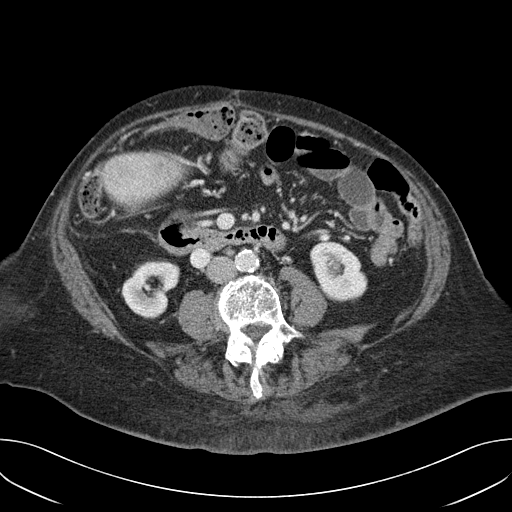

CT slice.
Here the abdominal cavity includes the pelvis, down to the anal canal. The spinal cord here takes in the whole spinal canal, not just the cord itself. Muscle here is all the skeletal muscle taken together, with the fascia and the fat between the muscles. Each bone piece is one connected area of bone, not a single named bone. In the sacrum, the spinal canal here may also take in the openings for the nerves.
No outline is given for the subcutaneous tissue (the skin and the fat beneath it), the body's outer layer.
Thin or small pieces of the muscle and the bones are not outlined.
{"abdominal_cavity":[[[220,105],[325,132],[403,173],[423,210],[427,260],[413,304],[388,319],[311,330],[328,303],[286,265],[278,278],[290,286],[288,318],[269,279],[251,273],[215,293],[183,295],[174,315],[193,340],[142,347],[127,335],[67,236],[76,189],[123,131]]],"torso":[[[190,84],[218,84],[309,98],[369,124],[410,153],[445,192],[485,276],[511,303],[511,391],[474,398],[414,425],[360,442],[300,453],[239,455],[186,449],[143,439],[82,417],[45,393],[0,384],[0,259],[22,241],[67,165],[107,120],[142,98]]],"bones":[{"outer":[[251,274],[262,274],[268,279],[282,316],[304,334],[304,338],[293,338],[284,345],[283,357],[277,363],[268,362],[262,367],[259,378],[263,392],[258,399],[249,383],[252,366],[246,362],[234,366],[224,356],[228,331],[217,316],[217,291],[229,281]],"hole":[[251,324],[260,324],[261,325],[270,325],[270,328],[256,342],[255,342],[250,337],[249,337],[244,332],[243,332],[241,330],[241,329],[242,328],[244,328],[246,326],[247,326],[248,325],[250,325]]}],"muscle":[{"outer":[[222,99],[223,100],[240,100],[261,108],[278,111],[284,114],[289,114],[308,120],[319,122],[352,136],[395,159],[404,167],[409,169],[428,189],[431,196],[435,200],[440,211],[445,218],[446,224],[449,230],[448,239],[450,243],[451,261],[446,278],[445,287],[438,300],[424,317],[418,320],[416,323],[407,329],[396,333],[391,337],[385,339],[378,345],[370,348],[362,353],[353,363],[352,367],[343,376],[336,377],[335,380],[331,383],[311,391],[308,394],[296,399],[294,402],[276,404],[271,403],[267,400],[262,402],[257,402],[248,406],[245,405],[244,406],[235,405],[233,402],[217,396],[208,397],[206,395],[195,394],[178,382],[172,380],[159,366],[143,355],[134,351],[115,339],[111,339],[104,336],[99,332],[98,333],[93,331],[93,327],[74,308],[70,301],[71,297],[62,284],[62,282],[60,280],[60,275],[52,263],[52,253],[49,245],[50,240],[48,227],[53,211],[67,187],[69,181],[76,174],[89,155],[111,133],[121,126],[138,117],[151,114],[154,112],[183,105],[205,103]],"hole":[[220,105],[388,160],[423,210],[420,293],[388,319],[311,330],[327,301],[300,269],[279,270],[285,319],[304,338],[262,367],[258,399],[252,366],[224,356],[216,293],[192,289],[179,302],[174,315],[193,340],[142,347],[66,233],[85,170],[119,134]]}],"spinal_cord":[[[251,324],[260,324],[261,325],[270,325],[270,328],[256,342],[255,342],[250,337],[249,337],[244,332],[243,332],[241,330],[241,329],[242,328],[244,328],[246,326],[247,326],[248,325],[250,325]]]}